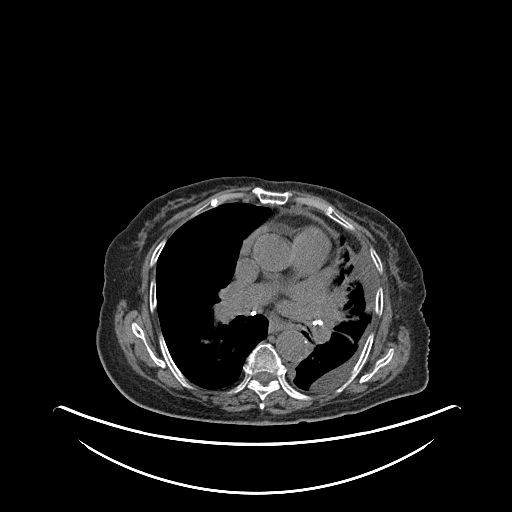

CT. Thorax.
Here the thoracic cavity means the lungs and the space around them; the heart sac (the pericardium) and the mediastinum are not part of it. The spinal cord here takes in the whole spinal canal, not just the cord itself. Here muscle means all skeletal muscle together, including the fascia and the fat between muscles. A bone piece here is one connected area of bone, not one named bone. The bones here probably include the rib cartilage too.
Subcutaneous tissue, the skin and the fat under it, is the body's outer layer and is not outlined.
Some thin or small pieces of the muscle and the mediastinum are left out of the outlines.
{"spinal_cord":[[[260,372],[267,372],[268,373],[269,373],[270,374],[271,374],[272,375],[272,376],[273,377],[273,378],[271,380],[270,380],[266,384],[262,384],[256,378],[256,375],[258,373],[259,373]]],"torso":[[[243,175],[333,188],[381,211],[402,230],[422,268],[426,290],[421,310],[430,331],[429,378],[423,390],[358,413],[331,419],[260,426],[164,415],[133,403],[115,387],[101,364],[96,348],[96,329],[103,300],[104,256],[110,242],[155,197],[201,180]]],"mediastinum":[[[233,275],[239,289],[249,300],[273,313],[283,316],[305,314],[321,303],[315,315],[306,322],[301,331],[308,342],[309,353],[294,368],[294,374],[289,381],[286,377],[287,368],[276,349],[271,343],[263,340],[267,336],[268,320],[246,307],[234,287]],[[250,200],[270,205],[284,205],[290,202],[315,208],[351,232],[359,240],[362,247],[358,249],[347,246],[343,250],[341,260],[342,248],[338,240],[338,233],[321,218],[305,211],[285,209],[273,214],[266,221],[271,214],[271,210],[265,206],[246,202]]],"muscle":[[[248,185],[254,185],[250,192],[256,199],[251,199],[243,191],[221,193],[193,211],[167,239],[160,240],[152,251],[149,266],[155,266],[155,275],[149,281],[148,306],[151,314],[155,311],[157,313],[161,331],[157,334],[157,342],[161,357],[157,356],[150,347],[143,329],[135,321],[130,324],[132,333],[142,341],[153,362],[158,367],[167,367],[186,389],[194,390],[195,385],[208,390],[228,389],[226,391],[228,395],[237,394],[244,389],[252,390],[259,398],[259,408],[228,411],[176,396],[139,374],[129,364],[117,340],[114,330],[114,314],[121,299],[125,299],[130,308],[140,305],[139,288],[144,259],[151,246],[164,231],[163,226],[169,219],[218,191],[231,186]],{"outer":[[382,260],[388,276],[391,325],[395,328],[403,325],[409,330],[411,348],[403,369],[385,385],[355,399],[332,402],[288,414],[274,414],[262,410],[265,407],[266,397],[274,391],[281,389],[291,398],[311,401],[314,398],[311,394],[332,390],[336,394],[341,393],[359,374],[368,359],[374,341],[375,333],[371,331],[374,313],[380,317],[384,308],[384,290],[381,286],[377,288],[375,279],[375,268],[380,274],[383,272]],"hole":[[390,348],[392,348],[394,351],[393,352],[393,355],[390,361],[385,365],[380,367],[377,370],[377,371],[367,381],[365,381],[364,382],[360,383],[359,382],[359,379],[360,377],[362,375],[366,373],[369,373],[374,368],[376,361],[378,359],[381,358]]},[[289,190],[297,190],[311,193],[313,195],[322,197],[328,201],[340,211],[363,226],[370,233],[375,248],[371,245],[368,248],[369,254],[362,245],[360,240],[352,233],[356,229],[355,227],[340,214],[332,205],[310,196],[297,195],[293,197],[292,192]]],"thoracic_cavity":[[[233,201],[270,210],[265,221],[242,241],[232,275],[233,287],[242,303],[255,315],[261,315],[267,320],[267,331],[265,338],[245,357],[243,375],[236,384],[230,388],[208,389],[189,381],[169,351],[156,310],[156,264],[167,240],[180,226],[208,210]],[[347,247],[358,250],[363,247],[374,266],[376,290],[374,294],[374,308],[370,332],[365,339],[348,377],[335,389],[308,394],[298,390],[289,382],[295,374],[295,368],[310,353],[309,342],[302,331],[307,322],[318,312],[334,274],[342,262],[342,255]]],"pericardium":[[[285,210],[301,211],[321,219],[337,233],[337,240],[341,248],[341,262],[337,266],[337,269],[333,274],[333,277],[321,302],[305,313],[294,315],[283,315],[264,309],[244,294],[240,289],[234,275],[243,241],[254,230],[267,222],[273,215]]],"bones":[{"outer":[[260,341],[267,342],[273,346],[286,368],[285,377],[287,381],[298,391],[310,395],[313,398],[311,400],[291,397],[280,388],[270,392],[265,397],[263,401],[264,407],[260,409],[260,398],[252,389],[244,388],[237,393],[227,393],[242,379],[246,357]],"hole":[[260,372],[267,372],[268,373],[269,373],[270,374],[271,374],[272,375],[272,376],[273,377],[273,378],[271,380],[270,380],[266,384],[262,384],[256,378],[256,375],[258,373],[259,373]]},[[133,322],[135,322],[142,329],[149,347],[157,357],[162,357],[158,342],[158,334],[159,332],[162,333],[166,346],[174,363],[188,381],[194,385],[194,389],[189,389],[183,386],[167,366],[161,367],[154,362],[143,341],[133,333],[131,328],[131,324]],[[297,196],[300,197],[310,197],[314,199],[317,199],[322,202],[324,202],[328,205],[332,206],[332,207],[340,215],[348,221],[355,229],[353,231],[350,231],[344,228],[315,207],[309,206],[305,204],[298,204],[294,202],[293,201],[293,198]],[[255,186],[259,186],[260,187],[262,187],[264,189],[270,190],[271,191],[285,191],[286,190],[288,190],[291,192],[292,194],[292,197],[289,199],[288,202],[284,204],[270,204],[269,203],[261,203],[258,201],[256,197],[251,192],[252,189]],[[371,332],[373,332],[374,333],[374,336],[373,337],[372,345],[365,363],[363,365],[362,368],[358,374],[350,382],[350,383],[341,392],[339,393],[336,393],[335,392],[335,390],[349,377],[353,367],[358,360],[358,358],[364,346],[366,339],[369,333]],[[230,192],[243,192],[249,196],[250,198],[249,200],[244,201],[242,199],[236,199],[232,201],[227,201],[226,202],[221,203],[215,207],[208,209],[187,220],[188,217],[193,212],[206,203],[209,202],[211,199],[215,197],[217,197],[221,194],[229,193]],[[390,348],[392,348],[394,351],[393,352],[393,355],[390,361],[385,365],[380,367],[377,370],[377,371],[367,381],[365,381],[364,382],[360,383],[359,382],[359,379],[360,377],[362,375],[366,373],[369,373],[374,368],[376,361],[378,359],[381,358]],[[154,276],[155,276],[155,296],[156,297],[156,308],[155,309],[155,310],[154,311],[154,312],[153,313],[151,313],[151,312],[150,311],[150,307],[149,306],[149,288],[150,287],[150,281],[152,279],[152,278]],[[378,287],[381,287],[382,288],[382,289],[383,290],[383,308],[382,309],[382,311],[381,312],[381,315],[380,316],[379,316],[378,315],[377,315],[374,312],[374,309],[375,308],[375,294],[376,293],[376,291],[377,290],[377,289],[378,288]],[[371,246],[375,249],[375,250],[377,252],[377,253],[380,257],[380,259],[381,260],[381,263],[382,264],[382,272],[381,273],[380,273],[376,269],[376,268],[371,259],[371,257],[370,256],[370,253],[369,252],[369,248]],[[163,239],[166,239],[166,242],[165,243],[165,244],[163,246],[163,247],[158,256],[158,258],[157,259],[157,261],[154,266],[150,266],[150,260],[151,259],[151,256],[153,253],[153,251],[155,249],[156,246],[160,242],[160,241],[161,241]]]}